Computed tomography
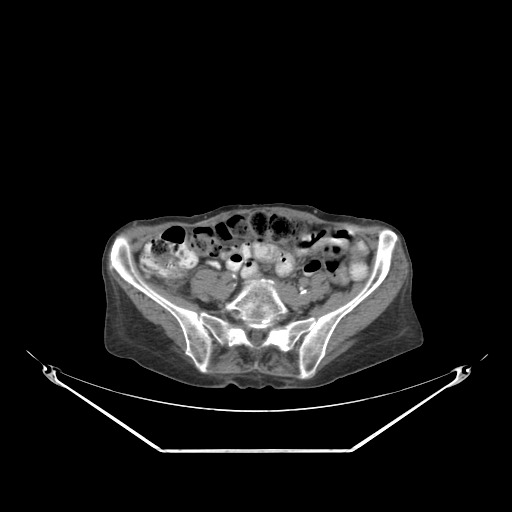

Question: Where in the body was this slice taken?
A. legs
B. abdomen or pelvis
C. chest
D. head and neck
Answer: B. abdomen or pelvis
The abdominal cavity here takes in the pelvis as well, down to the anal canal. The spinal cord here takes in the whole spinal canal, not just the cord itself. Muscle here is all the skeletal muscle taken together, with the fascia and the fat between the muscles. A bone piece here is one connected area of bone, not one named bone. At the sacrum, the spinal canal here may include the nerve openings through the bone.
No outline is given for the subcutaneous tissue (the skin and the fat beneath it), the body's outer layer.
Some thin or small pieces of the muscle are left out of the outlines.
{"torso":[[[268,202],[309,204],[326,212],[380,219],[397,227],[412,261],[412,301],[424,334],[419,347],[309,389],[269,386],[241,389],[233,384],[224,388],[200,388],[148,370],[105,349],[106,304],[101,257],[108,237],[116,228],[133,219],[189,216],[226,204]]],"muscle":[[[399,237],[404,254],[408,263],[408,275],[405,283],[403,284],[395,298],[385,310],[355,336],[357,337],[357,341],[316,373],[319,364],[326,354],[326,349],[330,338],[339,322],[368,297],[383,282],[388,275],[391,268],[393,252]],[[213,339],[220,345],[222,346],[226,345],[228,347],[243,345],[250,349],[261,349],[272,345],[276,346],[280,351],[285,353],[291,350],[295,344],[300,340],[297,349],[297,368],[298,369],[297,378],[274,376],[257,372],[218,375],[207,374],[213,351]],[[258,207],[286,207],[305,211],[329,221],[350,222],[361,225],[380,225],[386,227],[382,228],[377,233],[376,249],[372,267],[372,260],[374,255],[372,250],[367,245],[365,240],[350,227],[337,223],[298,219],[271,211],[233,213],[223,221],[209,226],[186,226],[180,224],[168,225],[148,238],[140,246],[134,254],[135,264],[129,237],[124,232],[120,232],[132,225],[155,225],[168,221],[194,223],[214,216],[223,211]],[[109,250],[109,265],[110,267],[124,281],[158,304],[176,320],[181,329],[185,343],[184,353],[192,360],[195,367],[171,349],[170,347],[172,344],[172,341],[164,334],[164,332],[157,325],[149,321],[142,315],[125,292],[109,277],[107,271],[107,257]],[[200,269],[211,269],[215,271],[217,273],[217,277],[216,278],[216,280],[214,284],[214,292],[213,293],[213,296],[212,296],[208,301],[205,301],[204,300],[202,300],[198,297],[193,296],[193,294],[190,289],[190,280],[194,273],[195,273]],[[367,278],[366,281],[359,291],[353,297],[345,303],[317,317],[315,317],[312,315],[309,316],[310,315],[310,312],[313,308],[318,304],[322,304],[324,303],[329,297],[330,294],[333,292],[336,291],[337,292],[347,292],[350,290],[352,286],[359,283]],[[148,282],[150,283],[155,283],[161,286],[164,289],[174,294],[180,294],[183,296],[189,297],[204,310],[206,310],[207,311],[223,311],[227,314],[227,317],[223,317],[219,315],[212,314],[207,312],[206,311],[205,310],[201,310],[198,312],[195,310],[178,305],[155,290]],[[317,272],[324,272],[325,273],[325,275],[328,279],[328,281],[329,282],[329,286],[330,288],[329,290],[323,296],[323,297],[319,299],[317,299],[316,300],[310,300],[310,288],[311,287],[311,283],[310,282],[314,274],[315,274]]],"bones":[{"outer":[[384,228],[398,236],[387,275],[338,322],[307,379],[298,378],[300,339],[285,352],[213,338],[200,372],[177,320],[110,265],[112,243],[124,233],[135,267],[178,306],[227,318],[226,302],[245,281],[264,277],[275,281],[288,320],[317,318],[363,287]],"hole":[[251,329],[263,329],[264,330],[265,330],[265,336],[264,337],[264,339],[260,343],[259,343],[258,344],[255,344],[253,342],[252,342],[250,340],[250,339],[249,338],[249,331]]}],"abdominal_cavity":[{"outer":[[255,212],[346,226],[371,250],[371,269],[367,277],[347,291],[333,291],[305,318],[288,319],[290,311],[279,295],[276,281],[269,277],[245,280],[221,310],[207,310],[189,296],[147,281],[138,269],[135,254],[148,239],[168,226],[209,227],[233,214]],"hole":[[200,269],[211,269],[215,271],[217,273],[217,277],[216,278],[216,280],[214,284],[214,292],[213,293],[213,296],[212,296],[208,301],[205,301],[204,300],[202,300],[198,297],[193,296],[193,294],[190,289],[190,280],[194,273],[195,273]]}],"spinal_cord":[[[251,329],[263,329],[264,330],[265,330],[265,336],[264,337],[264,339],[260,343],[259,343],[258,344],[255,344],[253,342],[252,342],[250,340],[250,339],[249,338],[249,331]]]}